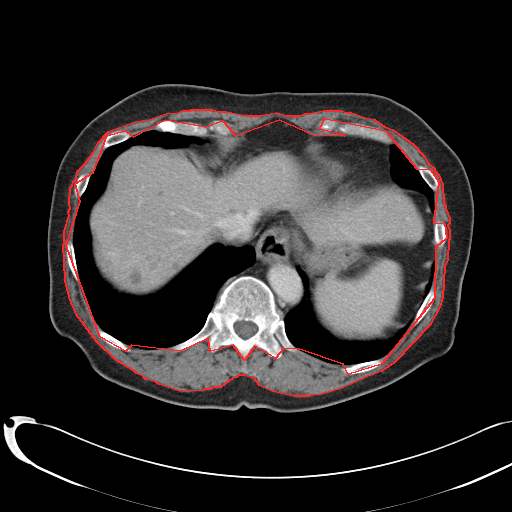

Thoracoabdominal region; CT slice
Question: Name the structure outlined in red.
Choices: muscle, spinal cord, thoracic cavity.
Answer: red: muscle.
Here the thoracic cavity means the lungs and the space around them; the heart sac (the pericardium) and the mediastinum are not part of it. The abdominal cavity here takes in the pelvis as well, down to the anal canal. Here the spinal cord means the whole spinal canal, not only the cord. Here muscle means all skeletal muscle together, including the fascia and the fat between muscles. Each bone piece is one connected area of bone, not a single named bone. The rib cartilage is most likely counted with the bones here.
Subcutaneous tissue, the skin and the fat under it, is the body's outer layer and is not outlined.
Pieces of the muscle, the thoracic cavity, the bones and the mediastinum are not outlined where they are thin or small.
{"muscle":[{"outer":[[191,109],[212,109],[218,111],[226,111],[245,115],[260,115],[276,112],[286,115],[300,115],[304,113],[310,113],[323,110],[341,110],[346,112],[351,112],[364,117],[374,119],[384,126],[392,129],[398,133],[413,144],[423,155],[427,162],[434,168],[434,170],[438,174],[442,184],[443,202],[445,205],[445,208],[449,218],[449,223],[447,225],[449,230],[449,239],[448,240],[447,259],[444,266],[442,297],[439,307],[429,325],[394,362],[381,371],[367,376],[341,388],[321,394],[309,395],[308,396],[294,396],[272,391],[259,385],[254,378],[244,375],[238,375],[236,377],[232,378],[220,387],[212,387],[210,389],[204,389],[203,390],[180,391],[159,384],[154,381],[145,379],[143,376],[136,373],[133,370],[116,360],[96,341],[76,314],[69,297],[65,280],[63,244],[64,243],[64,231],[69,215],[68,211],[70,208],[69,203],[70,187],[72,185],[73,181],[76,178],[77,171],[85,163],[93,152],[98,142],[108,131],[135,121],[149,119],[166,113],[178,112],[182,110],[190,110]],"hole":[[325,118],[385,130],[416,168],[430,169],[438,181],[433,222],[444,223],[446,238],[435,247],[434,298],[381,364],[348,374],[343,364],[299,349],[283,348],[275,358],[254,346],[244,360],[233,345],[210,351],[208,338],[180,351],[131,345],[125,351],[100,337],[66,245],[80,201],[75,183],[93,172],[107,135],[124,130],[133,136],[165,119],[205,126],[222,120],[235,135],[279,119],[313,134],[344,135],[319,129]]}],"thoracic_cavity":[[[151,130],[195,136],[201,142],[180,147],[138,143],[115,156],[88,214],[99,277],[117,293],[143,297],[163,289],[214,244],[252,246],[255,259],[223,283],[196,333],[172,346],[144,349],[126,344],[94,319],[82,292],[73,237],[80,198],[104,151]],[[297,267],[307,278],[308,293],[306,298],[315,321],[320,327],[336,339],[345,342],[384,342],[404,326],[409,323],[409,325],[394,347],[387,354],[376,359],[344,365],[324,361],[300,350],[289,339],[283,318],[290,310],[301,303],[305,294],[304,284]],[[391,144],[395,144],[404,152],[406,156],[416,168],[422,179],[433,191],[433,199],[434,200],[434,209],[433,211],[431,211],[430,209],[428,198],[423,193],[413,189],[403,187],[401,185],[396,183],[391,177],[390,174],[390,169],[391,168],[390,145]]],"abdominal_cavity":[{"outer":[[273,119],[308,132],[300,155],[330,190],[395,182],[427,198],[433,275],[412,320],[388,339],[345,341],[320,326],[308,278],[282,226],[245,245],[212,244],[148,295],[117,292],[100,277],[89,214],[118,154],[138,144],[213,148],[215,136],[243,134]],"hole":[[252,145],[260,145],[261,146],[266,146],[267,147],[272,148],[275,151],[272,151],[271,152],[260,155],[252,159],[247,163],[234,169],[232,171],[230,172],[227,172],[226,171],[226,166],[233,155],[234,155],[235,153],[236,153],[241,149],[249,147]]}],"bones":[{"outer":[[244,275],[253,276],[269,287],[281,312],[285,333],[298,350],[292,352],[283,348],[281,356],[275,358],[254,346],[244,360],[233,345],[223,345],[216,351],[210,351],[209,339],[206,338],[183,350],[174,351],[171,347],[187,340],[202,328],[223,288]],"hole":[[236,321],[249,321],[250,322],[252,322],[253,323],[254,323],[256,325],[256,326],[257,327],[257,330],[256,331],[256,332],[255,333],[254,333],[250,337],[244,339],[243,338],[242,338],[235,331],[235,330],[234,329],[234,323]]},[[165,119],[175,122],[186,122],[187,121],[194,122],[205,126],[207,126],[213,120],[222,120],[229,124],[231,131],[230,133],[226,135],[221,135],[215,131],[209,130],[206,135],[203,136],[174,133],[169,131],[159,131],[154,129],[155,124],[157,122]],[[325,118],[329,118],[336,120],[340,124],[346,122],[360,123],[385,130],[392,136],[393,141],[392,143],[389,144],[382,142],[379,140],[376,140],[367,137],[363,137],[359,135],[345,134],[335,129],[330,132],[326,132],[318,128],[318,123]],[[380,358],[382,359],[382,362],[381,364],[367,371],[359,372],[354,374],[348,374],[343,372],[341,370],[341,368],[344,366],[349,366],[354,364],[358,364],[363,362],[367,362],[372,360],[376,360]],[[431,287],[433,288],[434,290],[434,292],[435,293],[434,295],[434,298],[433,299],[433,301],[429,309],[426,312],[424,316],[414,326],[411,327],[410,325],[411,324],[411,322],[413,320],[425,296],[427,294],[427,293],[429,291]],[[116,130],[124,130],[125,131],[127,131],[130,133],[131,136],[130,136],[127,139],[126,139],[121,142],[119,142],[116,144],[111,145],[110,146],[107,147],[105,149],[102,146],[102,142],[103,141],[103,140],[107,135],[108,135],[113,131],[115,131]],[[419,165],[422,165],[423,166],[424,166],[425,167],[426,167],[427,168],[430,169],[435,174],[435,175],[437,178],[437,180],[438,181],[438,187],[435,190],[433,190],[428,185],[428,184],[423,179],[422,176],[420,174],[419,171],[417,169],[417,167]],[[69,240],[72,241],[72,243],[73,244],[74,255],[75,256],[75,261],[76,262],[76,267],[77,268],[78,278],[79,279],[79,281],[78,282],[74,278],[67,261],[67,250],[66,249],[66,245],[67,244],[67,242]],[[99,328],[127,345],[130,348],[130,350],[129,351],[125,351],[124,350],[119,349],[116,347],[114,347],[107,343],[104,340],[103,340],[98,334],[97,330]],[[438,220],[439,221],[441,221],[443,223],[444,223],[444,224],[445,225],[445,227],[446,228],[446,238],[445,239],[445,242],[441,247],[438,247],[437,246],[436,246],[436,245],[435,244],[435,242],[434,241],[434,223],[436,221],[437,221]],[[84,173],[89,173],[90,174],[90,177],[89,178],[89,180],[87,183],[86,188],[85,189],[85,190],[83,192],[83,193],[81,195],[81,196],[80,197],[76,197],[74,194],[74,187],[75,186],[75,183],[76,182],[78,177],[81,174],[83,174]]],"mediastinum":[[[276,227],[282,227],[287,232],[289,246],[297,266],[296,270],[304,288],[304,294],[300,303],[283,316],[278,309],[274,293],[270,287],[253,275],[244,274],[237,276],[219,292],[229,278],[255,262],[255,249],[248,244],[258,238],[259,240],[263,233]],[[309,133],[320,135],[359,136],[363,138],[367,138],[379,141],[385,144],[388,144],[389,145],[389,162],[390,163],[389,174],[390,177],[393,180],[393,185],[377,187],[377,178],[374,169],[371,163],[364,154],[360,153],[354,149],[312,142],[308,139]]],"spinal_cord":[[[236,321],[249,321],[250,322],[252,322],[253,323],[254,323],[256,325],[256,326],[257,327],[257,330],[256,331],[256,332],[255,333],[254,333],[250,337],[244,339],[243,338],[242,338],[235,331],[235,330],[234,329],[234,323]]],"torso":[[[163,83],[240,93],[367,92],[389,97],[423,118],[462,162],[474,204],[471,249],[449,350],[382,388],[298,412],[244,405],[234,410],[176,405],[118,385],[95,371],[80,348],[58,334],[49,315],[47,229],[54,181],[65,152],[94,117],[135,91]]],"pericardium":[[[307,142],[335,146],[343,149],[354,150],[358,153],[364,155],[370,163],[373,169],[376,178],[376,187],[366,190],[350,189],[349,188],[340,188],[336,190],[330,189],[326,183],[313,171],[311,168],[311,166],[301,155],[301,148]],[[252,145],[260,145],[261,146],[266,146],[267,147],[272,148],[275,151],[272,151],[271,152],[260,155],[252,159],[247,163],[234,169],[232,171],[230,172],[227,172],[226,171],[226,166],[233,155],[234,155],[235,153],[236,153],[241,149],[249,147]]]}